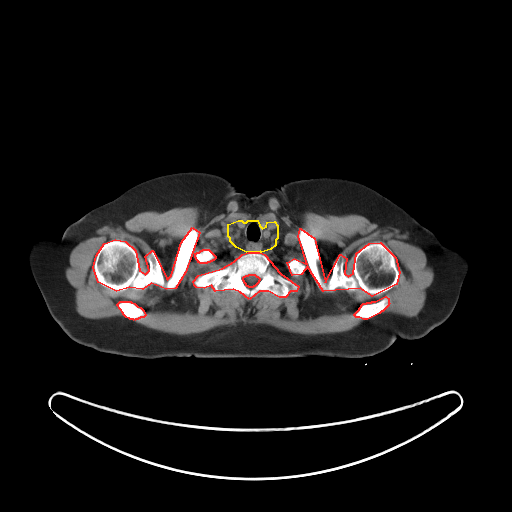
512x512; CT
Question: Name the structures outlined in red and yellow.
Answer: red: bones; yellow: middle of the neck.
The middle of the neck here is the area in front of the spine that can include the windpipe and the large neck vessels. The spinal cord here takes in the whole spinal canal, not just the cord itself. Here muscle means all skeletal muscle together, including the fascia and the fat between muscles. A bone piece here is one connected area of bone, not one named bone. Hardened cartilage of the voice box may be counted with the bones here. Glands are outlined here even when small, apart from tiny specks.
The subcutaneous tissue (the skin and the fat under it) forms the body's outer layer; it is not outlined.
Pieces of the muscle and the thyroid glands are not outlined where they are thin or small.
The bones appear in 6 outlined pieces: piece 1: [[300,228],[314,238],[325,282],[340,254],[346,258],[344,273],[348,276],[353,273],[356,253],[369,243],[380,242],[395,257],[399,272],[396,284],[372,296],[360,288],[323,291],[307,266],[301,274],[292,275],[287,262],[294,258],[307,264],[298,236]]; piece 2: [[192,227],[199,232],[185,272],[175,288],[166,289],[151,283],[142,289],[129,287],[116,291],[98,282],[93,267],[96,255],[104,243],[115,239],[125,241],[135,250],[139,270],[145,274],[149,270],[145,256],[152,250],[167,279],[171,275],[181,242]]; piece 3: [[248,252],[260,252],[264,254],[280,273],[298,286],[296,291],[290,291],[285,297],[279,297],[268,291],[259,291],[249,299],[240,292],[233,289],[215,291],[211,285],[204,288],[196,287],[194,285],[193,281],[198,275],[222,268],[234,261],[242,254]]; inner edge: [[249,274],[254,274],[256,276],[257,276],[259,278],[259,280],[258,281],[258,282],[254,286],[253,286],[252,287],[249,287],[248,286],[247,286],[246,285],[246,284],[244,282],[244,281],[243,280],[243,277],[244,276],[245,276],[246,275],[248,275]]; piece 4: [[385,296],[388,298],[388,302],[389,303],[388,305],[382,311],[381,311],[379,313],[367,319],[363,319],[359,317],[356,317],[354,315],[354,314],[359,309],[359,308],[363,303],[366,303],[367,302],[371,302],[372,301],[375,301]]; piece 5: [[120,301],[130,301],[131,302],[134,303],[137,306],[140,307],[143,310],[145,315],[143,317],[140,317],[139,318],[138,318],[137,319],[135,319],[134,320],[133,319],[130,319],[129,318],[126,317],[123,314],[123,313],[117,305],[117,304]]; piece 6: [[203,249],[208,249],[215,256],[215,258],[213,260],[212,260],[211,261],[210,261],[209,262],[207,262],[206,263],[200,263],[199,262],[198,262],[198,261],[196,259],[196,258],[195,257],[195,253],[196,253],[197,252],[199,252],[201,250],[202,250]]. The middle of the neck is outlined by [[238,220],[241,220],[243,222],[246,222],[248,220],[257,220],[259,225],[262,228],[266,226],[267,222],[274,221],[277,225],[277,238],[275,240],[275,245],[270,249],[261,252],[260,251],[246,252],[236,247],[230,241],[230,238],[228,236],[228,224]]. The torso is outlined by [[187,171],[224,177],[250,197],[290,181],[318,177],[357,181],[385,196],[365,216],[354,238],[352,254],[363,292],[398,337],[395,341],[379,353],[357,358],[142,358],[80,344],[103,328],[124,305],[137,274],[135,246],[123,219],[109,201],[145,180]]. The left arm is outlined by [[388,198],[403,208],[423,226],[429,229],[442,243],[463,252],[469,259],[469,267],[453,311],[443,323],[417,339],[403,339],[396,335],[387,326],[378,315],[368,296],[364,292],[363,285],[354,264],[353,248],[355,238],[360,227],[366,216]]. The thyroid glands are outlined by [[259,218],[265,218],[267,220],[267,221],[266,222],[266,224],[265,225],[265,226],[264,227],[262,227],[260,225],[260,224],[259,223],[259,222],[258,221],[258,219]]. The muscle is outlined by [[270,197],[296,215],[305,211],[359,214],[405,234],[407,242],[424,251],[434,271],[416,317],[380,313],[390,303],[385,295],[363,302],[353,315],[364,320],[342,332],[301,334],[266,324],[239,323],[178,335],[136,322],[146,314],[130,300],[116,304],[125,317],[90,319],[75,310],[75,289],[65,276],[69,255],[101,227],[122,225],[142,211],[174,207],[197,206],[211,214],[233,199],[247,212],[257,214]]; inner edges: [[259,218],[265,218],[268,222],[274,221],[277,225],[275,245],[261,252],[280,273],[293,281],[298,289],[290,291],[285,297],[259,291],[249,299],[233,289],[215,291],[211,285],[196,287],[193,281],[198,275],[222,268],[246,252],[230,241],[228,224]], then [[300,228],[314,238],[325,282],[340,254],[346,258],[344,273],[348,276],[353,273],[356,253],[369,243],[380,242],[395,257],[399,272],[396,284],[372,296],[360,288],[323,291],[307,266],[301,274],[292,275],[287,262],[294,258],[307,264],[298,236]], then [[192,227],[199,232],[185,272],[175,288],[166,289],[151,283],[142,289],[129,287],[116,291],[98,282],[93,267],[96,255],[104,243],[115,239],[125,241],[135,250],[139,270],[145,274],[149,270],[145,256],[152,250],[167,279],[171,275],[181,242]], then [[203,249],[208,249],[215,256],[215,258],[213,260],[212,260],[211,261],[210,261],[209,262],[207,262],[206,263],[200,263],[199,262],[198,262],[198,261],[196,259],[196,258],[195,257],[195,253],[196,253],[197,252],[199,252],[201,250],[202,250]]. The right arm is outlined by [[107,202],[109,202],[115,208],[122,219],[126,231],[134,246],[136,274],[134,277],[133,285],[123,305],[96,333],[77,343],[64,332],[51,316],[30,270],[28,263],[28,251],[30,246],[40,238],[47,237],[58,240],[71,223],[79,219],[90,210]]. The spinal cord is outlined by [[249,274],[254,274],[256,276],[257,276],[259,278],[259,280],[258,281],[258,282],[254,286],[253,286],[252,287],[249,287],[248,286],[247,286],[246,285],[246,284],[244,282],[244,281],[243,280],[243,277],[244,276],[245,276],[246,275],[248,275]].